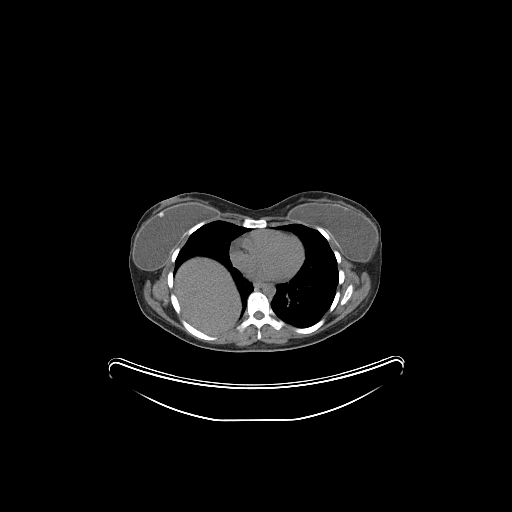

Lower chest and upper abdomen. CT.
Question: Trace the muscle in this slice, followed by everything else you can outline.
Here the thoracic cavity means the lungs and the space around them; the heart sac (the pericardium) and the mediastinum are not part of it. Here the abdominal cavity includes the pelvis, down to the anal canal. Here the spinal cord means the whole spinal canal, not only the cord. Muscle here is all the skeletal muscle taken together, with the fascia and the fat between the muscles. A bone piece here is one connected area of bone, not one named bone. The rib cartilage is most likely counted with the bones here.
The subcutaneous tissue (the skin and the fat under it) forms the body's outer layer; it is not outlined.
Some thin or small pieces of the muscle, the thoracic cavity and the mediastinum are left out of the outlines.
Answer: muscle 1: [[331,237],[345,258],[355,265],[353,270],[358,273],[366,271],[371,282],[368,295],[345,317],[316,334],[302,338],[291,338],[283,344],[267,343],[258,340],[248,345],[238,346],[234,343],[208,343],[194,337],[204,341],[214,341],[218,338],[218,335],[231,328],[241,318],[235,325],[235,329],[242,332],[249,325],[254,325],[258,340],[262,337],[261,328],[266,324],[275,330],[279,330],[289,324],[291,329],[298,334],[310,334],[317,330],[326,320],[323,317],[324,314],[327,311],[330,313],[337,304],[344,305],[351,297],[354,289],[351,283],[342,294],[337,289],[338,285],[344,282],[345,273],[341,268],[338,269],[342,257],[338,250],[331,248],[329,243]]
muscle 2: [[170,256],[173,270],[169,270],[166,275],[168,287],[170,289],[173,288],[173,292],[169,296],[170,303],[174,311],[178,315],[181,313],[183,316],[180,322],[191,335],[162,318],[144,298],[143,287],[146,280],[150,278],[152,281],[157,279],[162,267]]
muscle 3: [[221,211],[222,212],[230,212],[231,213],[237,213],[238,214],[245,215],[249,217],[246,217],[244,218],[242,220],[240,224],[238,224],[232,221],[229,221],[225,219],[214,219],[207,222],[206,221],[207,220],[210,220],[211,219],[218,218],[220,216]]
muscle 4: [[265,216],[285,216],[285,218],[287,220],[298,221],[299,222],[301,222],[302,223],[304,223],[315,227],[314,228],[306,225],[303,223],[299,223],[298,222],[289,222],[288,223],[283,223],[282,224],[278,224],[277,225],[268,225],[268,222],[262,217],[264,217]]
muscle 5: [[184,236],[187,236],[187,238],[186,239],[186,240],[185,241],[185,242],[183,244],[183,245],[181,247],[180,247],[179,246],[177,246],[177,245],[179,243],[179,242],[182,239],[182,238]]
thoracic cavity 1: [[289,223],[303,224],[319,232],[328,242],[337,264],[337,286],[328,309],[319,320],[305,327],[294,326],[278,318],[271,307],[270,302],[276,292],[276,285],[291,280],[299,271],[305,260],[305,249],[301,240],[291,231],[274,229],[274,227],[278,225]]
thoracic cavity 2: [[214,220],[225,220],[249,229],[234,238],[229,248],[229,257],[232,265],[240,271],[243,277],[253,287],[246,298],[246,306],[239,319],[240,298],[236,286],[228,270],[219,261],[205,255],[194,255],[182,262],[174,273],[174,263],[188,237],[206,223]]
thoracic cavity 3: [[182,310],[184,313],[192,317],[195,320],[200,323],[206,324],[207,325],[213,326],[214,327],[222,328],[223,329],[228,329],[226,329],[225,331],[223,331],[217,335],[209,334],[195,327],[186,319],[185,319],[184,318],[184,316],[182,315]]
spinal cord: [[257,311],[258,311],[259,311],[260,312],[261,312],[262,313],[263,314],[263,315],[263,316],[262,317],[261,318],[260,318],[259,319],[258,319],[257,318],[256,318],[255,317],[254,316],[254,315],[254,314],[255,313],[256,312]]
abdominal cavity: [[194,256],[205,256],[219,262],[227,270],[231,277],[231,279],[233,281],[235,289],[239,298],[239,317],[237,321],[228,328],[223,328],[200,322],[192,316],[184,312],[181,308],[179,300],[174,292],[174,274],[176,273],[178,268],[182,263]]
pericardium: [[266,228],[274,230],[281,230],[285,232],[292,233],[300,240],[303,246],[304,249],[303,263],[295,275],[291,279],[287,281],[272,282],[271,281],[258,281],[248,279],[234,265],[232,261],[230,255],[230,248],[232,242],[245,234],[256,230]]
mediastinum 1: [[248,280],[251,280],[252,281],[257,281],[258,282],[271,282],[272,283],[278,283],[277,283],[275,285],[275,292],[274,293],[271,300],[270,301],[269,300],[268,297],[261,291],[260,291],[259,290],[253,290],[254,289],[253,284],[250,281],[249,281]]
mediastinum 2: [[250,229],[260,229],[256,229],[255,230],[253,230],[252,231],[250,231],[249,232],[248,232],[247,233],[245,233],[243,235],[241,235],[239,237],[236,238],[238,236],[239,236],[240,235],[241,235],[243,233],[244,233],[245,232],[248,231]]
bones 1: [[253,291],[259,291],[264,294],[267,297],[270,307],[276,317],[286,323],[286,325],[279,329],[275,329],[270,324],[264,324],[260,328],[260,339],[257,338],[257,328],[254,324],[249,324],[242,331],[236,329],[236,325],[242,319],[247,306],[247,298]] with a hole at [[257,311],[258,311],[259,311],[260,312],[261,312],[262,313],[263,314],[263,315],[263,316],[262,317],[261,318],[260,318],[259,319],[258,319],[257,318],[256,318],[255,317],[254,316],[254,315],[254,314],[255,313],[256,312]]
bones 2: [[182,319],[184,319],[185,320],[186,320],[195,328],[196,328],[209,335],[212,335],[213,336],[216,336],[217,337],[217,338],[214,340],[204,340],[203,339],[198,338],[197,337],[192,335],[186,330],[186,329],[182,324],[182,323],[181,322],[181,320]]
bones 3: [[350,284],[351,284],[353,286],[352,293],[350,297],[344,304],[337,303],[335,307],[330,312],[329,312],[328,310],[334,299],[334,297],[335,296],[336,291],[338,290],[342,295],[345,291],[345,290],[347,288],[347,287]]
bones 4: [[246,218],[252,218],[253,219],[259,219],[260,218],[262,218],[263,219],[264,219],[267,222],[267,226],[264,228],[248,228],[247,227],[245,227],[244,226],[243,226],[242,225],[241,225],[241,223],[243,221],[243,220]]
bones 5: [[322,318],[324,318],[325,320],[323,324],[321,325],[317,329],[316,329],[314,331],[310,333],[298,333],[294,331],[291,327],[292,326],[294,327],[297,327],[298,328],[305,328],[306,327],[309,327],[315,324]]
bones 6: [[172,293],[174,293],[175,294],[175,295],[178,300],[178,302],[179,303],[179,305],[180,306],[180,309],[181,310],[181,312],[180,313],[180,314],[178,314],[175,311],[175,310],[174,309],[174,308],[171,303],[171,299],[170,298],[170,296]]
bones 7: [[203,221],[205,221],[206,222],[203,225],[200,226],[197,229],[196,229],[192,233],[191,233],[188,236],[187,235],[185,235],[185,234],[188,231],[188,230],[190,228],[191,228],[194,225],[195,225],[196,224],[197,224],[200,222],[202,222]]
bones 8: [[169,271],[173,271],[173,287],[172,288],[170,288],[169,287],[169,286],[168,285],[168,283],[167,282],[167,275],[168,274],[168,273],[169,272]]
bones 9: [[316,227],[321,227],[325,231],[326,231],[329,234],[329,235],[330,236],[330,240],[329,241],[328,241],[326,239],[326,238],[319,231],[318,231],[315,228]]
bones 10: [[339,269],[341,269],[343,271],[343,272],[344,273],[344,279],[343,280],[343,282],[341,284],[338,284],[338,281],[339,280],[339,274],[338,273],[338,270]]
bones 11: [[177,247],[179,247],[180,248],[180,249],[179,250],[179,251],[178,252],[178,253],[176,256],[176,258],[175,259],[175,260],[174,261],[174,262],[172,262],[171,261],[171,256],[172,255],[172,254],[173,253],[173,252],[175,250],[175,249]]
bones 12: [[333,250],[336,250],[337,251],[338,251],[338,252],[340,254],[340,256],[341,257],[341,261],[340,262],[340,263],[339,264],[338,264],[337,263],[337,260],[336,259],[336,257],[335,256],[335,255],[334,254],[334,253],[333,252]]
torso: [[309,190],[328,191],[357,201],[370,211],[381,227],[379,287],[371,306],[357,321],[322,341],[299,348],[269,352],[227,352],[192,345],[162,329],[142,313],[130,277],[128,256],[130,238],[136,223],[152,205],[180,193],[204,192],[257,209]]
breast implant 1: [[184,202],[201,202],[205,204],[211,205],[220,209],[219,216],[200,221],[190,227],[173,249],[163,266],[161,266],[151,271],[147,271],[140,269],[137,266],[134,265],[133,263],[133,244],[134,243],[135,236],[137,233],[149,219],[161,211],[166,208]]
breast implant 2: [[304,203],[336,204],[344,207],[347,207],[367,218],[376,228],[378,234],[379,243],[374,256],[367,262],[357,262],[351,260],[347,258],[343,254],[331,235],[321,226],[314,226],[298,220],[287,219],[286,218],[286,213],[288,209],[296,205],[299,205]]